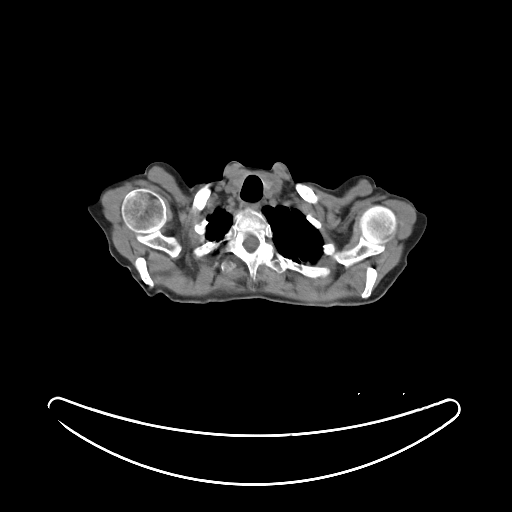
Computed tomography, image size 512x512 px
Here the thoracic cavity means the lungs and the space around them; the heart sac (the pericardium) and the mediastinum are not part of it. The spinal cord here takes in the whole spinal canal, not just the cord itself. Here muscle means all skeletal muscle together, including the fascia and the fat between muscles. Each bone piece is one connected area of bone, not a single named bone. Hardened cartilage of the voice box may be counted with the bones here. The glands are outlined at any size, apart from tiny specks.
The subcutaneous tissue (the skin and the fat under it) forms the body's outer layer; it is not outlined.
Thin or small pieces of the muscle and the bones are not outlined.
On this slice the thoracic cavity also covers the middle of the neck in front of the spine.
thyroid glands 1: 243,171 246,171 247,172 248,172 248,173 247,173 246,174 246,175 243,178 243,179 239,186 236,186 235,185 234,185 234,184 231,181 232,178 233,178 235,176 236,176 238,174 239,174 241,172 242,172
thyroid glands 2: 261,174 263,174 264,175 266,175 267,176 268,176 270,178 271,178 273,180 273,183 272,184 272,185 271,186 271,187 268,190 265,190 265,189 264,188 264,185 263,184 263,181 262,180 262,178 260,175
right arm: 144,171 154,177 161,184 167,193 171,201 173,211 173,218 171,225 169,229 162,236 150,242 124,249 109,250 107,240 104,233 90,215 86,205 87,203 95,200 98,197 100,190 107,184 133,174 142,173
left arm: 371,176 378,186 381,186 395,194 409,198 414,203 415,207 419,211 424,212 428,217 425,231 417,244 409,253 407,258 408,263 405,269 394,265 383,258 365,240 359,229 358,205 362,194 367,188 367,185
thoracic cavity: 249,172 260,174 265,191 274,181 279,182 282,188 280,203 298,209 319,231 323,243 316,262 298,262 279,252 266,217 250,207 236,211 221,238 210,240 206,237 207,217 220,205 223,187 230,181 239,187
muscle: 234,163 252,171 283,166 295,182 296,192 312,205 319,198 310,186 341,196 360,179 371,184 373,194 409,203 416,221 400,261 373,290 378,272 367,265 360,297 327,302 264,292 183,296 155,286 145,257 137,256 134,267 116,249 102,211 103,195 126,182 146,179 153,166 160,166 186,193 200,187 191,203 191,209 200,212 212,193 212,184; inner edges: 243,171 279,182 280,203 317,219 323,242 337,250 358,243 360,216 374,204 394,212 395,234 382,252 350,266 322,253 309,264 328,267 325,277 261,264 254,281 232,252 195,257 202,240 194,225, then 136,188 150,189 159,194 163,199 166,206 167,219 160,229 160,231 165,236 174,236 177,239 181,245 181,250 177,256 171,257 162,250 152,248 138,241 136,238 136,234 124,223 121,213 123,199 128,192, then 222,261 226,261 226,262 227,263 227,265 225,267 225,268 224,269 224,270 221,270 221,269 220,268 220,267 218,265 217,265 216,266 215,266 214,265 214,263 215,262 218,262 219,263 220,263
torso: 232,160 266,169 279,161 295,181 328,188 369,175 357,205 358,229 383,259 404,270 382,297 361,306 311,307 258,298 202,305 148,296 109,252 150,243 172,225 172,201 146,166 166,162 192,185 219,180
bones 1: 245,208 259,211 265,217 279,253 298,263 328,267 330,273 313,278 288,268 279,273 261,264 254,281 246,264 232,252 217,250 195,257 193,249 202,243 194,230 195,224 206,219 205,237 219,240 237,211; inner edge: 249,235 251,235 252,236 253,236 254,237 255,237 257,239 257,240 258,241 258,244 257,245 257,246 256,247 256,248 253,251 248,251 246,249 246,248 244,246 244,241 248,237 248,236
bones 2: 136,188 150,189 159,194 163,199 166,206 167,219 160,229 160,231 165,236 174,236 177,239 181,245 181,250 177,256 171,257 162,250 152,248 138,241 136,238 136,234 124,223 121,213 123,199 128,192
bones 3: 374,204 380,204 390,208 394,212 397,221 395,234 385,244 382,252 367,257 350,266 345,266 337,262 331,255 323,253 322,246 324,243 333,243 337,250 350,249 355,246 360,237 358,224 360,216 367,208
bones 4: 207,183 210,183 211,184 211,185 210,186 210,188 211,189 211,193 205,204 205,206 204,207 204,208 200,211 194,211 192,209 192,203 193,202 193,199 194,198 194,195 196,193 196,192 203,185 204,185
bones 5: 137,257 143,257 145,258 146,260 146,264 147,265 147,268 148,269 148,272 154,284 154,286 153,287 149,287 145,283 144,283 144,282 140,277 134,265 134,262
bones 6: 367,266 371,266 373,267 377,272 377,276 376,277 376,279 375,280 375,282 374,283 374,285 373,286 373,288 372,289 370,296 367,298 362,298 361,297 361,293 365,286 365,278 366,277 366,268
bones 7: 296,182 301,182 302,183 304,183 305,184 308,185 313,190 313,191 315,193 315,194 318,198 318,200 315,204 312,204 311,203 309,203 308,202 307,202 305,200 304,200 300,196 300,195 295,189 295,183
bones 8: 307,214 310,214 312,216 313,216 316,219 317,219 321,223 321,224 322,225 322,227 321,228 321,229 320,230 319,230 318,229 317,229 314,226 313,226 306,219 306,215
spinal cord: 249,235 251,235 252,236 253,236 254,237 255,237 257,239 257,240 258,241 258,244 257,245 257,246 256,247 256,248 253,251 248,251 246,249 246,248 244,246 244,241 248,237 248,236